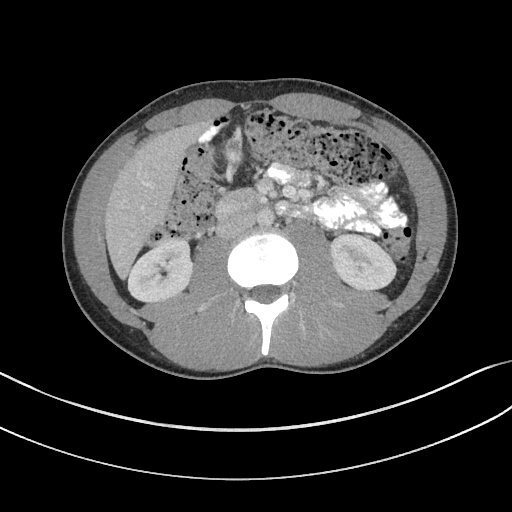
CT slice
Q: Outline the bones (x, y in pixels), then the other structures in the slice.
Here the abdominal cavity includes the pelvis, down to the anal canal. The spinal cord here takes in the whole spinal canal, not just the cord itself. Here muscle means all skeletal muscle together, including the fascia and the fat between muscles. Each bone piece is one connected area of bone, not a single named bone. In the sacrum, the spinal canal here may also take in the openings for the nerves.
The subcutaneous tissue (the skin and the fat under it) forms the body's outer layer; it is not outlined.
A: bones: (264, 356) (269, 351) (270, 337) (275, 318) (288, 308) (290, 302) (288, 284) (298, 270) (299, 261) (294, 246) (284, 237) (274, 232) (253, 232) (241, 240) (230, 251) (227, 259) (227, 273) (244, 292) (243, 304) (246, 313) (254, 315) (260, 323) (262, 336) (261, 353) with a hole at (261, 302) (270, 302) (274, 299) (275, 299) (278, 296) (278, 289) (277, 288) (277, 287) (275, 287) (274, 286) (271, 286) (270, 285) (265, 285) (264, 286) (258, 286) (257, 287) (255, 287) (252, 290) (252, 293) (251, 294) (252, 295) (252, 297) (254, 299) (256, 299)
spinal cord: (261, 302) (270, 302) (274, 299) (275, 299) (278, 296) (278, 289) (277, 288) (277, 287) (275, 287) (274, 286) (271, 286) (270, 285) (265, 285) (264, 286) (258, 286) (257, 287) (255, 287) (252, 290) (252, 293) (251, 294) (252, 295) (252, 297) (254, 299) (256, 299)
muscle: (208, 372) (234, 370) (261, 359) (302, 367) (348, 360) (421, 300) (444, 249) (447, 204) (435, 166) (406, 132) (317, 93) (288, 92) (242, 101) (200, 98) (127, 131) (98, 157) (82, 183) (73, 219) (74, 253) (82, 277) (115, 319) (140, 330) (160, 354) (183, 368); inner edge: (264, 356) (299, 266) (282, 233) (287, 224) (306, 222) (323, 233) (344, 286) (394, 299) (415, 262) (417, 211) (407, 177) (378, 139) (253, 103) (136, 151) (113, 183) (104, 236) (114, 286) (134, 307) (179, 294) (199, 246) (215, 235) (232, 237) (227, 273) (260, 323)
torso: (192, 380) (224, 379) (262, 368) (342, 373) (383, 356) (420, 326) (451, 277) (458, 215) (445, 169) (413, 128) (372, 101) (327, 82) (298, 77) (223, 79) (184, 85) (160, 95) (100, 142) (78, 172) (64, 208) (61, 251) (69, 288) (88, 321) (119, 349) (156, 370)
abdominal cavity: (134, 307) (183, 291) (206, 239) (220, 235) (236, 244) (253, 231) (284, 236) (284, 227) (295, 221) (315, 226) (328, 239) (344, 286) (394, 299) (415, 262) (417, 211) (408, 179) (391, 151) (367, 132) (263, 103) (167, 132) (122, 166) (104, 216) (109, 271) (118, 293)